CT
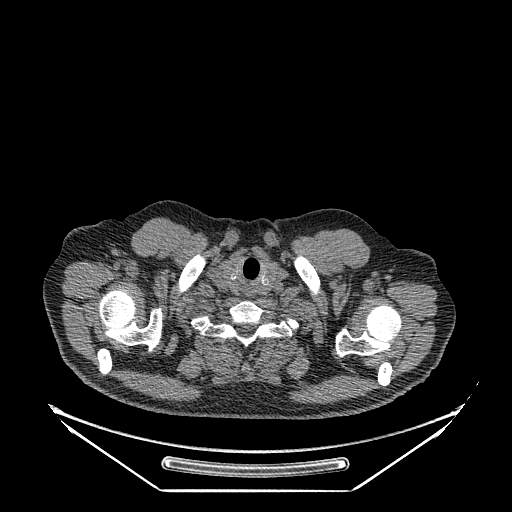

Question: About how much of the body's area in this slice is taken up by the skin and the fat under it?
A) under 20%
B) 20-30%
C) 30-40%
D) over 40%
Answer: B) 20-30%
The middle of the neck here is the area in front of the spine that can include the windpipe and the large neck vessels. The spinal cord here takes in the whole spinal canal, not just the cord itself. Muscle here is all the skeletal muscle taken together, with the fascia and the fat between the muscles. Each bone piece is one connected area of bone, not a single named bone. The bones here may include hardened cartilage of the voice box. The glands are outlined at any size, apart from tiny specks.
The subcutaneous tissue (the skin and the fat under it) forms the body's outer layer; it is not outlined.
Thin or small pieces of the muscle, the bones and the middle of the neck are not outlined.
right arm: 108 218; 113 218; 117 220; 123 219; 139 257; 141 267; 141 282; 139 312; 137 317; 130 325; 122 329; 88 336; 71 342; 57 344; 50 327; 42 298; 42 283; 45 273; 58 255; 61 249; 63 238; 70 230; 78 226; 94 224
spinal cord: 243 323; 248 323; 249 324; 253 324; 254 325; 256 325; 256 328; 255 329; 255 330; 253 332; 253 333; 248 337; 244 337; 243 336; 240 335; 237 332; 237 331; 235 328; 235 326; 236 325; 239 325; 240 324; 242 324
left arm: 392 243; 399 248; 413 248; 425 252; 432 256; 436 264; 438 276; 449 292; 455 305; 456 319; 452 334; 445 347; 444 352; 438 365; 432 370; 422 365; 415 363; 411 360; 381 345; 365 330; 355 312; 357 298; 376 266; 383 252
middle of the neck: 244 254; 254 254; 265 261; 267 277; 264 275; 261 278; 265 286; 270 283; 269 279; 275 279; 279 272; 284 283; 284 291; 248 299; 228 293; 216 285; 213 276; 218 270; 225 280; 232 281; 237 277; 233 272; 231 273; 233 264
thyroid glands 1: 232 262; 233 262; 233 263; 232 264; 232 269; 231 270; 231 271; 229 274; 229 276; 228 277; 228 278; 227 279; 225 279; 222 276; 222 271; 221 270; 222 269; 222 266; 223 266; 225 264; 228 264; 229 263; 231 263
thyroid glands 2: 266 262; 268 262; 269 263; 270 263; 271 264; 272 264; 275 267; 275 270; 276 271; 276 274; 275 275; 275 278; 273 278; 272 279; 271 279; 270 278; 269 278; 267 276; 267 266; 266 265
bones 1: 244 299; 251 300; 263 309; 273 312; 277 320; 288 317; 295 319; 299 323; 299 327; 292 331; 291 336; 258 338; 246 350; 233 338; 202 335; 190 324; 191 318; 209 314; 211 315; 211 320; 217 322; 218 316; 225 315; 231 306, around a hole outlined by 243 323; 248 323; 249 324; 253 324; 254 325; 256 325; 256 328; 255 329; 255 330; 253 332; 253 333; 248 337; 244 337; 243 336; 240 335; 237 332; 237 331; 235 328; 235 326; 236 325; 239 325; 240 324; 242 324
bones 2: 120 287; 127 290; 135 302; 135 314; 137 317; 136 324; 138 327; 142 328; 148 324; 151 308; 160 307; 161 309; 162 335; 160 342; 151 352; 148 351; 147 346; 144 344; 128 346; 104 333; 104 327; 100 321; 97 304; 103 293
bones 3: 381 304; 387 304; 395 308; 400 314; 402 321; 401 328; 390 347; 383 351; 377 352; 373 355; 346 354; 340 357; 336 353; 335 349; 335 336; 337 332; 343 326; 346 326; 349 333; 353 337; 360 336; 365 326; 367 314; 373 307
bones 4: 196 254; 201 254; 202 255; 204 255; 206 259; 206 264; 203 268; 202 271; 198 275; 197 278; 193 282; 193 283; 185 291; 181 293; 179 293; 178 292; 178 289; 177 288; 177 284; 178 283; 178 279; 179 278; 179 276; 186 263
bones 5: 297 255; 301 255; 305 258; 306 258; 313 266; 315 271; 317 273; 319 277; 319 279; 320 280; 320 291; 318 294; 314 296; 312 295; 309 288; 304 282; 304 281; 301 278; 301 277; 298 274; 297 271; 295 269; 293 265; 293 257
bones 6: 102 347; 104 347; 108 349; 110 351; 110 354; 111 355; 111 359; 112 360; 112 366; 111 367; 111 369; 110 371; 106 375; 103 375; 99 371; 98 369; 98 360; 97 359; 97 351; 98 349
bones 7: 384 361; 387 361; 389 362; 392 366; 392 373; 390 377; 391 379; 390 380; 390 382; 389 384; 386 386; 382 386; 380 385; 377 381; 377 372; 378 371; 378 368; 380 364
muscle: 157 216; 207 233; 234 227; 247 239; 267 229; 287 238; 351 229; 370 247; 361 270; 364 278; 385 288; 407 280; 436 290; 440 307; 430 352; 391 384; 393 366; 384 360; 376 381; 386 388; 326 404; 295 404; 251 383; 217 387; 191 401; 153 399; 134 391; 105 376; 113 366; 108 348; 96 351; 98 371; 72 348; 60 317; 58 282; 73 261; 109 261; 118 251; 130 253; 132 233, around holes outlined by 244 254; 254 254; 272 264; 284 283; 281 293; 248 299; 273 312; 277 320; 290 317; 299 323; 291 336; 258 338; 246 350; 233 338; 204 336; 190 324; 191 318; 205 314; 217 322; 218 316; 246 298; 224 291; 213 279; 222 266 and by 120 287; 127 290; 135 302; 135 314; 137 317; 136 324; 138 327; 142 328; 148 324; 151 308; 160 307; 161 309; 162 335; 160 342; 151 352; 148 351; 147 346; 144 344; 128 346; 104 333; 104 327; 100 321; 97 304; 103 293 and by 381 304; 387 304; 395 308; 400 314; 402 321; 401 328; 390 347; 383 351; 377 352; 373 355; 346 354; 340 357; 336 353; 335 349; 335 336; 337 332; 343 326; 346 326; 349 333; 353 337; 360 336; 365 326; 367 314; 373 307 and by 196 254; 201 254; 202 255; 204 255; 206 259; 206 264; 203 268; 202 271; 198 275; 197 278; 193 282; 193 283; 185 291; 181 293; 179 293; 178 292; 178 289; 177 288; 177 284; 178 283; 178 279; 179 278; 179 276; 186 263 and by 297 255; 301 255; 305 258; 306 258; 313 266; 315 271; 317 273; 319 277; 319 279; 320 280; 320 291; 318 294; 314 296; 312 295; 309 288; 304 282; 304 281; 301 278; 301 277; 298 274; 297 271; 295 269; 293 265; 293 257 and by 244 362; 246 362; 248 364; 248 365; 249 366; 249 369; 248 369; 247 370; 246 369; 245 370; 244 370; 243 371; 242 371; 242 370; 241 369; 241 368; 242 367; 242 365; 243 364; 243 363
torso: 165 199; 211 216; 242 220; 272 220; 320 208; 340 208; 364 219; 391 243; 356 298; 354 312; 381 346; 431 370; 429 376; 385 405; 322 419; 170 415; 122 403; 86 385; 65 364; 57 345; 122 330; 136 320; 142 267; 124 218